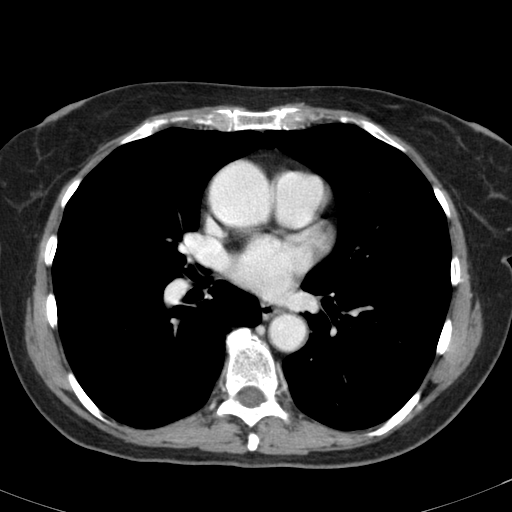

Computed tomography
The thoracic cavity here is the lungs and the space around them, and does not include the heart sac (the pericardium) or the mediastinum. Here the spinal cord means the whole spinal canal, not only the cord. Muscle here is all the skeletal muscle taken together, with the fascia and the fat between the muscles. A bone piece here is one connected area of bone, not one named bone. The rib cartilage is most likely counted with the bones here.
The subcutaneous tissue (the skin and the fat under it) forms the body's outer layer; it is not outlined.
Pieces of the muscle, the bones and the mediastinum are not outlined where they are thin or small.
{"spinal_cord":[[[247,386],[252,386],[253,387],[255,387],[257,388],[262,393],[263,395],[263,397],[264,398],[264,400],[262,401],[258,405],[256,406],[254,406],[253,407],[249,407],[248,406],[246,406],[242,404],[237,399],[236,399],[236,396],[238,392],[241,389]]],"torso":[[[166,80],[383,89],[475,122],[511,143],[511,257],[508,259],[511,325],[501,353],[484,382],[460,412],[426,442],[393,458],[344,468],[244,468],[139,462],[72,442],[35,407],[13,368],[0,323],[0,148],[19,131],[41,122],[67,104],[126,84]]],"muscle":[[[224,104],[247,110],[221,107],[200,115],[145,121],[126,134],[120,145],[83,179],[78,176],[66,187],[60,198],[63,214],[58,231],[47,238],[42,256],[51,267],[53,287],[45,297],[45,317],[49,326],[57,329],[70,368],[66,372],[67,382],[79,402],[102,422],[109,422],[104,414],[122,425],[139,429],[165,426],[196,412],[208,402],[218,381],[223,395],[215,396],[207,408],[215,409],[218,417],[237,417],[251,429],[265,417],[289,421],[290,413],[279,401],[287,391],[300,411],[338,430],[366,432],[366,436],[374,437],[398,425],[419,402],[421,384],[435,356],[449,349],[453,322],[446,315],[452,287],[463,279],[460,258],[452,254],[447,222],[452,214],[444,192],[430,184],[406,155],[406,148],[375,122],[412,146],[449,193],[463,229],[470,277],[483,324],[480,343],[458,378],[420,414],[379,442],[304,455],[255,452],[260,438],[252,430],[246,440],[249,451],[243,454],[125,443],[63,404],[45,385],[28,357],[24,339],[26,301],[34,283],[37,247],[62,187],[96,151],[147,117]],[[294,102],[299,102],[315,107],[323,107],[324,108],[331,108],[332,109],[343,109],[344,110],[353,111],[363,114],[367,116],[371,120],[365,118],[357,118],[353,116],[341,114],[335,117],[336,121],[334,122],[321,123],[307,127],[310,122],[314,122],[322,118],[324,115],[322,113],[316,114],[312,112],[309,112],[302,109],[300,107],[293,105],[281,105],[277,107],[276,106],[279,105],[283,105],[287,103],[293,103]]],"thoracic_cavity":[[[170,127],[261,132],[260,146],[208,180],[197,230],[187,232],[179,245],[195,266],[209,269],[214,281],[252,295],[260,320],[225,335],[220,378],[204,405],[165,425],[139,428],[103,413],[71,370],[58,331],[52,265],[64,209],[84,178],[119,146]],[[335,122],[353,124],[409,158],[446,217],[451,250],[450,300],[435,355],[419,387],[376,428],[358,433],[304,413],[288,390],[282,362],[307,343],[312,329],[305,313],[317,312],[320,306],[301,285],[333,251],[338,203],[324,176],[264,137],[267,130]]],"bones":[{"outer":[[240,327],[249,328],[265,342],[274,361],[281,366],[287,390],[278,397],[278,401],[289,413],[287,422],[277,416],[265,416],[251,428],[237,416],[231,414],[218,416],[215,408],[208,408],[215,397],[224,395],[218,385],[227,356],[225,339],[228,333]],"hole":[[247,386],[252,386],[253,387],[255,387],[257,388],[262,393],[263,395],[263,397],[264,398],[264,400],[262,401],[258,405],[256,406],[254,406],[253,407],[249,407],[248,406],[246,406],[242,404],[237,399],[236,399],[236,396],[238,392],[241,389]]},[[281,106],[293,106],[316,115],[322,114],[322,117],[310,121],[305,128],[221,131],[199,128],[190,122],[181,122],[160,129],[146,137],[120,144],[126,135],[145,122],[155,119],[185,115],[200,116],[221,108],[232,110],[237,107],[244,111],[266,111]],[[421,386],[422,386],[422,392],[421,393],[421,395],[418,402],[414,406],[411,411],[398,424],[394,426],[390,430],[382,435],[375,435],[374,436],[368,436],[366,435],[366,433],[367,432],[376,429],[381,424],[382,424],[396,412],[397,412]],[[341,115],[345,115],[346,116],[353,117],[357,119],[365,119],[366,120],[373,122],[390,137],[391,137],[395,141],[403,146],[403,147],[405,148],[405,152],[403,152],[401,150],[376,138],[359,126],[353,123],[342,123],[337,121],[336,120],[336,117]],[[70,370],[74,375],[78,383],[83,389],[85,393],[102,412],[103,416],[108,420],[108,422],[102,421],[100,419],[99,419],[97,417],[93,415],[80,402],[80,401],[77,398],[73,390],[71,388],[68,382],[68,380],[67,379],[67,372]],[[447,317],[449,317],[451,319],[451,321],[452,322],[452,332],[451,333],[451,339],[450,340],[450,343],[448,346],[448,349],[447,350],[446,350],[442,354],[436,355],[436,347],[439,339],[439,336],[440,335],[443,324],[445,321],[445,319]],[[49,292],[53,292],[53,293],[54,294],[54,296],[55,297],[55,301],[56,302],[56,307],[57,308],[57,328],[52,328],[50,326],[50,325],[48,322],[48,320],[46,317],[46,310],[45,309],[45,302],[46,301],[46,297],[47,296],[47,295]],[[78,177],[82,177],[82,180],[80,182],[79,185],[77,187],[77,188],[75,190],[73,194],[70,197],[70,198],[66,203],[64,208],[62,208],[61,207],[61,198],[62,196],[64,194],[65,191],[67,189],[67,187],[69,185],[69,184],[74,179]],[[433,185],[436,185],[443,192],[445,196],[445,198],[449,205],[449,209],[450,210],[450,213],[451,214],[451,216],[449,218],[447,218],[442,207],[440,205],[439,202],[437,200],[434,194],[434,192],[432,188],[432,186]]],"pericardium":[[[259,156],[291,159],[308,167],[329,183],[337,203],[338,233],[332,251],[305,275],[292,294],[280,298],[255,296],[244,291],[226,280],[221,273],[194,262],[180,250],[180,245],[186,234],[191,231],[197,231],[200,228],[204,194],[212,177],[231,162]]],"mediastinum":[[[301,282],[301,288],[312,295],[317,300],[319,306],[317,311],[306,311],[304,313],[304,317],[311,329],[306,343],[298,350],[284,357],[281,365],[275,361],[266,342],[251,330],[261,320],[260,307],[255,297],[267,299],[288,297],[297,290]],[[261,131],[263,131],[263,137],[266,144],[270,145],[275,148],[276,147],[278,148],[283,153],[293,159],[281,157],[280,156],[275,156],[274,155],[259,155],[258,156],[249,156],[248,157],[240,158],[253,152],[263,144],[263,138],[262,137],[262,132]]]}